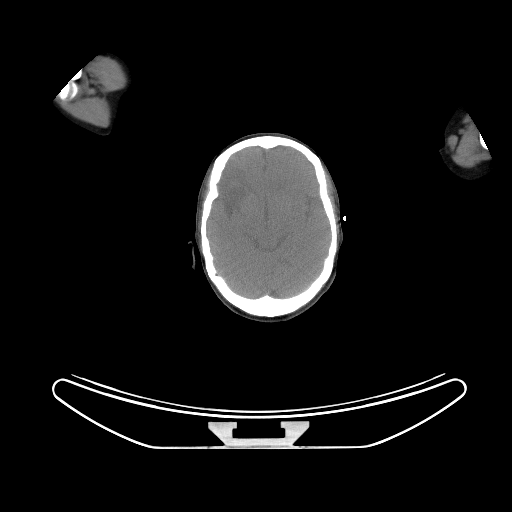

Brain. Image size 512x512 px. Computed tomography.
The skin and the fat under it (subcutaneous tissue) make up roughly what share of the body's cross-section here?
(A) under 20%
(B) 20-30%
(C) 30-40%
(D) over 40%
(A) under 20%
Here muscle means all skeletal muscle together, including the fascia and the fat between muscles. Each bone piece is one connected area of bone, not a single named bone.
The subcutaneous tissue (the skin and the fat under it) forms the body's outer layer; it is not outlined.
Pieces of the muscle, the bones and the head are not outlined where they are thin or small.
Outlines (x, y in pixels):
muscle 1: [[97,55],[110,57],[117,61],[123,68],[126,76],[126,81],[122,87],[107,94],[110,105],[110,117],[109,123],[105,127],[95,126],[72,116],[65,111],[57,101],[58,99],[63,101],[73,99],[77,95],[79,86],[76,81],[82,75],[82,68]]
muscle 2: [[468,114],[479,131],[478,141],[480,145],[485,150],[487,151],[488,150],[490,154],[488,159],[480,162],[473,167],[465,168],[456,164],[451,158],[448,151],[447,139],[451,134],[453,134],[456,131],[458,127],[460,126],[460,121],[464,117],[466,117]]
muscle 3: [[325,169],[330,179],[330,181],[332,184],[333,190],[334,191],[334,199],[335,200],[336,208],[337,209],[338,225],[339,226],[339,241],[338,242],[338,246],[337,221],[335,216],[335,212],[334,211],[333,204],[328,192],[327,178],[326,177]]
muscle 4: [[210,170],[209,176],[208,177],[208,182],[207,183],[207,192],[204,197],[204,199],[202,202],[202,206],[201,207],[200,226],[199,227],[200,248],[199,237],[198,236],[199,209],[201,204],[201,196],[205,185],[205,181],[207,178],[207,176],[209,174]]
right arm: [[103,51],[109,51],[115,53],[123,58],[127,62],[131,68],[133,74],[133,82],[129,89],[121,98],[119,111],[117,114],[117,117],[111,132],[107,135],[98,135],[86,129],[84,129],[66,119],[54,108],[52,105],[52,101],[67,82],[85,64]]
brain: [[277,146],[292,148],[302,154],[312,165],[318,186],[317,195],[329,226],[329,243],[319,273],[305,288],[284,297],[276,297],[267,293],[249,297],[233,290],[219,273],[207,234],[207,222],[213,202],[219,195],[218,184],[230,157],[250,147],[270,149]]
left arm: [[459,104],[464,108],[470,116],[479,131],[479,133],[481,135],[487,147],[487,149],[489,151],[494,165],[493,169],[483,179],[476,182],[468,182],[452,173],[444,164],[438,152],[440,147],[441,147],[443,144],[443,132],[444,131],[444,128],[450,116]]
bones 1: [[262,135],[293,139],[308,147],[319,157],[325,172],[327,192],[332,204],[337,232],[337,250],[327,281],[307,303],[295,311],[270,317],[247,313],[229,302],[220,293],[205,269],[200,233],[202,207],[208,192],[209,177],[214,160],[229,146],[241,140]], around a hole outlined by [[277,146],[292,148],[302,154],[312,165],[318,186],[317,195],[329,226],[329,243],[319,273],[305,288],[284,297],[276,297],[267,293],[249,297],[233,290],[219,273],[207,234],[207,222],[213,202],[219,195],[218,184],[230,157],[250,147],[270,149]]
bones 2: [[81,69],[82,70],[81,75],[80,77],[75,81],[75,82],[78,86],[78,91],[76,95],[73,98],[67,98],[63,100],[62,99],[60,99],[58,98],[56,96],[58,94],[60,90],[67,83],[67,82],[70,79],[71,79],[78,72],[79,70]]
head: [[264,131],[294,136],[319,154],[337,188],[344,217],[341,221],[344,239],[333,283],[307,311],[275,323],[252,321],[226,307],[204,278],[196,246],[192,245],[196,265],[194,269],[191,267],[192,248],[187,243],[194,238],[197,195],[212,158],[236,138]]